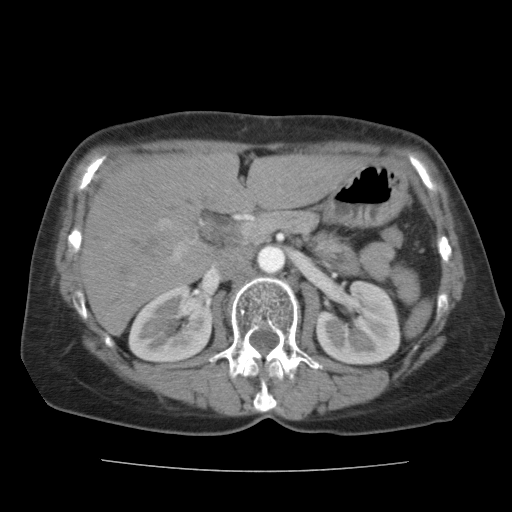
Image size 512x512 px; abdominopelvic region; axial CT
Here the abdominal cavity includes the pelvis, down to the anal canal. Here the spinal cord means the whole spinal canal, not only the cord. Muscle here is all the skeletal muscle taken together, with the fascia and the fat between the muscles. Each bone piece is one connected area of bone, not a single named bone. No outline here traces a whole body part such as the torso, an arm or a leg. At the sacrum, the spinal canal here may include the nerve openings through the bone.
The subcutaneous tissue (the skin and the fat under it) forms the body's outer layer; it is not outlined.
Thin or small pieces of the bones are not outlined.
{"bones":[{"outer":[[259,276],[285,280],[290,286],[299,305],[296,344],[323,365],[315,369],[301,361],[292,380],[286,375],[268,378],[268,391],[277,403],[265,412],[253,405],[260,389],[258,376],[239,374],[232,379],[226,358],[208,360],[232,343],[232,303],[238,291]],"hole":[[260,330],[270,330],[272,332],[273,332],[278,337],[278,342],[277,343],[277,344],[273,348],[272,348],[265,355],[263,355],[257,349],[256,349],[250,343],[250,337],[251,336],[251,335],[254,332],[255,332],[256,331],[259,331]]},[[411,153],[425,165],[426,169],[430,176],[431,180],[436,184],[437,186],[437,192],[433,197],[431,197],[430,196],[428,189],[424,185],[424,184],[422,182],[422,180],[420,176],[416,171],[415,168],[411,164],[408,158],[408,155]],[[104,154],[106,155],[106,158],[102,162],[102,163],[99,166],[99,167],[95,172],[95,176],[83,190],[81,191],[78,191],[77,187],[79,184],[81,176],[84,171],[84,168],[92,160],[93,160],[96,157],[100,156],[101,155],[103,155]]],"abdominal_cavity":[[[254,149],[369,152],[406,171],[436,226],[442,277],[431,326],[394,363],[354,368],[318,353],[309,279],[298,283],[303,311],[277,277],[247,281],[229,316],[229,293],[219,291],[211,345],[175,364],[125,354],[87,310],[77,251],[104,176],[185,153]]],"muscle":[{"outer":[[163,138],[165,139],[166,138],[223,139],[253,143],[266,143],[274,141],[290,141],[291,142],[316,141],[338,138],[359,141],[381,142],[388,144],[407,140],[418,145],[429,155],[437,166],[449,192],[449,196],[453,203],[454,212],[453,228],[460,242],[466,275],[466,280],[464,284],[461,300],[457,303],[447,318],[444,328],[444,331],[447,336],[447,341],[445,345],[439,352],[421,367],[408,375],[404,380],[399,383],[398,386],[386,390],[378,397],[366,403],[357,404],[337,411],[333,411],[326,414],[323,417],[317,417],[315,419],[306,419],[300,421],[287,420],[278,415],[269,413],[256,413],[247,416],[229,417],[226,415],[214,413],[211,410],[201,410],[197,408],[193,408],[170,398],[166,398],[160,394],[146,389],[137,383],[115,374],[109,367],[88,353],[83,347],[80,341],[81,340],[80,335],[82,332],[80,321],[78,317],[75,315],[64,301],[58,291],[59,277],[57,270],[53,263],[58,223],[61,218],[64,203],[67,196],[66,185],[69,177],[76,163],[90,148],[106,140],[132,142]],"holes":[[[254,149],[369,152],[399,162],[452,250],[441,262],[447,311],[415,351],[387,367],[348,367],[318,353],[319,293],[300,280],[295,341],[323,368],[301,361],[292,380],[268,378],[277,403],[265,412],[253,405],[258,376],[232,379],[226,358],[208,360],[233,341],[227,290],[212,302],[209,348],[184,362],[148,364],[107,346],[91,312],[86,320],[76,312],[75,291],[86,296],[78,252],[66,255],[104,176],[185,153]],[[411,153],[425,165],[426,169],[430,176],[431,180],[436,184],[437,186],[437,192],[433,197],[431,197],[430,196],[428,189],[424,185],[424,184],[422,182],[422,180],[420,176],[416,171],[415,168],[411,164],[408,158],[408,155]],[[104,154],[106,155],[106,158],[102,162],[102,163],[99,166],[99,167],[95,172],[95,176],[83,190],[81,191],[78,191],[77,187],[79,184],[81,176],[84,171],[84,168],[92,160],[93,160],[96,157],[100,156],[101,155],[103,155]]]}],"spinal_cord":[[[260,330],[270,330],[272,332],[273,332],[278,337],[278,342],[277,343],[277,344],[273,348],[272,348],[265,355],[263,355],[257,349],[256,349],[250,343],[250,337],[251,336],[251,335],[254,332],[255,332],[256,331],[259,331]]]}